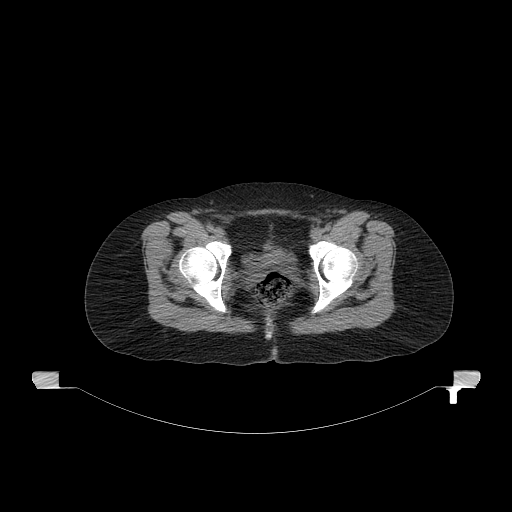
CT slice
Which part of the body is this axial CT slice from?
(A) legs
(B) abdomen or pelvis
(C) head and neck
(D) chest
(B) abdomen or pelvis
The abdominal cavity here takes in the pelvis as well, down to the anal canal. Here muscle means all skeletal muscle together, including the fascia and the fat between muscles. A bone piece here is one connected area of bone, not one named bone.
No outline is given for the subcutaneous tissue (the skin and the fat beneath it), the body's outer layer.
torso: [[253,181],[308,184],[352,198],[384,202],[410,215],[439,248],[451,273],[453,311],[444,334],[411,354],[333,364],[283,364],[271,360],[239,366],[144,360],[104,346],[88,325],[84,287],[91,261],[110,231],[132,212],[156,202],[193,197],[226,185]]
muscle: [[192,208],[376,211],[386,219],[395,233],[396,260],[392,278],[396,306],[394,312],[374,328],[294,335],[281,327],[274,338],[273,325],[268,317],[263,335],[261,330],[237,334],[203,330],[186,332],[158,323],[147,313],[148,287],[140,235],[155,217]], around a hole outlined by [[268,214],[310,221],[309,245],[331,241],[357,258],[352,284],[316,313],[310,312],[319,296],[312,260],[303,283],[308,301],[285,302],[273,312],[235,300],[230,257],[221,282],[225,313],[179,271],[185,250],[214,240],[229,243],[225,229],[231,220]]
abdominal cavity: [[268,214],[290,216],[310,221],[307,252],[311,261],[306,270],[307,281],[303,283],[308,292],[308,301],[285,302],[273,312],[268,309],[258,309],[235,300],[234,296],[238,286],[234,282],[236,274],[230,257],[232,245],[225,229],[231,220],[238,217]]
bones 1: [[214,240],[229,243],[231,245],[231,254],[226,262],[225,271],[221,282],[221,297],[227,309],[227,311],[225,313],[216,310],[201,295],[196,292],[190,286],[190,284],[187,280],[180,273],[178,268],[178,261],[185,250],[195,246],[204,246],[208,242]]
bones 2: [[321,240],[331,241],[338,245],[342,245],[351,250],[355,254],[357,258],[358,269],[354,276],[354,279],[352,284],[345,291],[334,298],[323,309],[316,313],[312,314],[310,312],[319,296],[319,283],[313,268],[313,261],[308,252],[308,248],[309,245]]
bones 3: [[267,318],[268,318],[270,320],[270,321],[271,322],[271,324],[272,325],[272,335],[271,336],[271,338],[270,339],[266,339],[264,337],[264,335],[265,334],[265,330],[266,329],[266,323],[267,322]]